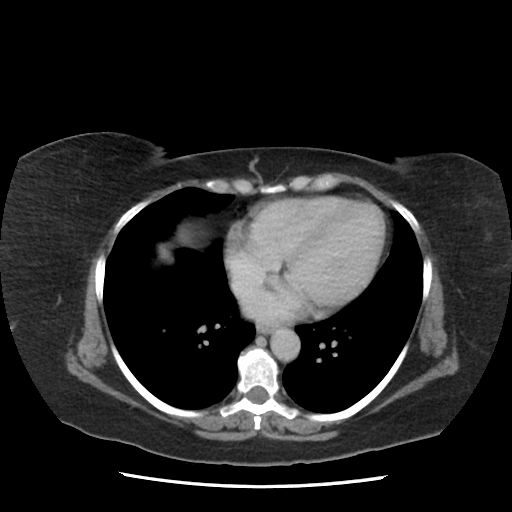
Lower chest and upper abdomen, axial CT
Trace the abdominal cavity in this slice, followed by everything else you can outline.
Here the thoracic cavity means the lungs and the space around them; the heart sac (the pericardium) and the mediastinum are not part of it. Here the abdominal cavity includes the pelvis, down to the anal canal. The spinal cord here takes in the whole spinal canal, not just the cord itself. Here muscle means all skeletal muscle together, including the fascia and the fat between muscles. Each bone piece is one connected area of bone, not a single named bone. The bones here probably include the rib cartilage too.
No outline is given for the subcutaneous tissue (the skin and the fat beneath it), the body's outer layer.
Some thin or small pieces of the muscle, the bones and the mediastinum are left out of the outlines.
Outlines (x, y in pixels):
abdominal cavity: (209, 213) (211, 214) (211, 219) (217, 232) (217, 237) (207, 248) (203, 251) (184, 247) (179, 248) (175, 251) (175, 263) (173, 265) (161, 266) (156, 268) (152, 266) (155, 245) (157, 242) (169, 238) (172, 235) (176, 225) (182, 218) (189, 214) (195, 216) (203, 216)
mediastinum 1: (240, 311) (241, 314) (246, 319) (252, 321) (267, 324) (288, 325) (295, 324) (302, 324) (298, 324) (296, 325) (294, 327) (294, 330) (300, 340) (299, 354) (296, 359) (289, 363) (284, 368) (280, 375) (278, 363) (267, 350) (257, 346) (244, 349) (254, 339) (256, 329) (252, 322) (242, 318)
mediastinum 2: (230, 193) (241, 195) (252, 195) (256, 193) (273, 194) (252, 201) (247, 205) (245, 212) (239, 217) (232, 219) (227, 224) (223, 242) (223, 261) (223, 241) (219, 236) (218, 237) (218, 232) (214, 225) (212, 214) (210, 213) (217, 212) (229, 204) (234, 198) (234, 195)
mediastinum 3: (341, 184) (350, 184) (362, 188) (393, 209) (391, 211) (391, 216) (394, 226) (393, 241) (389, 250) (389, 253) (384, 262) (392, 235) (390, 219) (382, 206) (372, 197) (355, 191) (339, 191) (338, 192) (304, 191) (303, 192) (290, 192) (289, 193) (277, 193) (283, 193) (284, 192) (286, 192) (288, 190) (325, 191) (332, 189)
muscle 1: (122, 213) (113, 227) (116, 237) (109, 254) (107, 257) (101, 252) (96, 259) (94, 292) (97, 302) (103, 303) (112, 339) (109, 348) (118, 368) (146, 401) (165, 414) (201, 417) (206, 412) (200, 409) (221, 402) (234, 389) (236, 399) (219, 406) (218, 413) (224, 418) (241, 410) (250, 412) (257, 431) (261, 416) (268, 411) (288, 420) (301, 414) (297, 407) (280, 400) (280, 391) (310, 411) (304, 416) (314, 422) (347, 419) (367, 406) (402, 364) (421, 302) (429, 295) (433, 263) (427, 254) (422, 257) (415, 234) (420, 232) (418, 221) (437, 256) (445, 329) (455, 336) (459, 368) (344, 425) (338, 435) (321, 441) (263, 436) (237, 441) (207, 439) (157, 418) (79, 380) (65, 365) (66, 344) (83, 324) (92, 256)
muscle 2: (237, 176) (244, 176) (245, 177) (257, 177) (258, 176) (260, 176) (266, 182) (268, 182) (269, 181) (273, 181) (274, 180) (282, 180) (290, 176) (296, 176) (291, 180) (290, 180) (286, 185) (280, 182) (278, 182) (274, 184) (268, 184) (267, 183) (264, 183) (260, 185) (257, 188) (257, 189) (250, 181) (246, 179) (243, 179) (242, 178) (238, 178) (237, 179) (234, 179) (231, 182) (229, 182) (225, 180) (222, 180) (221, 179) (209, 179) (208, 180) (206, 180) (203, 183) (203, 186) (206, 189) (207, 189) (201, 188) (200, 187) (197, 187) (196, 186) (186, 186) (185, 187) (182, 187) (181, 188) (176, 189) (169, 193) (167, 193) (165, 195) (160, 197) (158, 199) (152, 202) (151, 202) (151, 201) (149, 199) (144, 199) (143, 200) (140, 200) (141, 200) (144, 197) (145, 197) (149, 192) (151, 192) (154, 190) (157, 190) (158, 189) (163, 188) (166, 186) (168, 186) (171, 184) (173, 184) (175, 182) (177, 182) (180, 180) (185, 180) (186, 179) (192, 179) (193, 178) (197, 178) (198, 179) (209, 179) (210, 178) (214, 178) (215, 177) (229, 177) (231, 178) (232, 177) (236, 177)
muscle 3: (323, 172) (340, 172) (358, 176) (369, 181) (379, 188) (389, 192) (396, 199) (401, 202) (390, 198) (388, 200) (391, 206) (390, 206) (362, 187) (350, 183) (341, 183) (340, 184) (342, 180) (338, 176) (331, 173) (325, 173) (313, 178) (308, 175) (302, 174) (314, 175)
pericardium: (304, 192) (355, 192) (375, 200) (387, 214) (390, 225) (391, 235) (383, 262) (367, 287) (357, 297) (328, 317) (317, 321) (294, 324) (267, 323) (246, 318) (242, 314) (236, 298) (230, 288) (224, 265) (224, 242) (228, 224) (245, 213) (248, 205) (256, 200) (274, 194)
torso: (93, 131) (139, 135) (164, 145) (169, 156) (270, 145) (323, 147) (381, 160) (450, 150) (494, 169) (511, 238) (508, 296) (489, 360) (457, 413) (430, 438) (338, 460) (270, 467) (180, 461) (92, 437) (63, 423) (32, 380) (12, 334) (0, 238) (20, 156) (56, 139)
thoracic cavity 1: (186, 187) (233, 198) (217, 211) (182, 217) (171, 235) (154, 245) (151, 266) (171, 267) (177, 250) (203, 252) (219, 237) (227, 285) (241, 318) (255, 329) (236, 359) (234, 388) (199, 409) (171, 405) (139, 381) (112, 338) (104, 309) (106, 262) (120, 231) (149, 204)
thoracic cavity 2: (393, 210) (402, 216) (413, 231) (422, 258) (421, 301) (410, 333) (387, 372) (365, 395) (338, 411) (314, 412) (308, 410) (292, 401) (281, 390) (278, 380) (278, 376) (300, 354) (301, 340) (295, 327) (312, 324) (328, 318) (357, 298) (368, 287) (386, 261) (394, 241)
spinal cord: (256, 386) (260, 386) (262, 387) (266, 391) (267, 393) (267, 395) (268, 396) (267, 398) (263, 402) (261, 403) (256, 403) (255, 402) (253, 402) (251, 401) (249, 399) (247, 395) (248, 392) (253, 387) (255, 387)
bones 1: (253, 347) (267, 351) (277, 363) (279, 400) (300, 411) (300, 414) (288, 419) (275, 411) (268, 410) (260, 416) (260, 427) (257, 430) (254, 428) (254, 415) (250, 411) (241, 409) (224, 417) (218, 411) (219, 407) (237, 399) (235, 388) (239, 379) (237, 359) (242, 350); inner edge: (256, 386) (260, 386) (262, 387) (266, 391) (267, 393) (267, 395) (268, 396) (267, 398) (263, 402) (261, 403) (256, 403) (255, 402) (253, 402) (251, 401) (249, 399) (247, 395) (248, 392) (253, 387) (255, 387)
bones 2: (325, 174) (331, 174) (341, 180) (338, 185) (325, 190) (288, 189) (276, 193) (241, 194) (233, 189) (226, 193) (214, 192) (204, 186) (204, 183) (209, 180) (231, 183) (242, 179) (250, 182) (257, 190) (264, 184) (280, 183) (286, 186) (297, 176) (304, 175) (313, 179)
bones 3: (407, 341) (409, 342) (407, 352) (395, 374) (385, 387) (367, 405) (355, 414) (347, 418) (333, 421) (314, 421) (308, 419) (305, 416) (306, 413) (310, 412) (311, 413) (312, 412) (313, 413) (334, 413) (338, 412) (346, 409) (357, 402) (372, 390) (384, 377) (394, 363)
bones 4: (111, 340) (113, 341) (120, 356) (133, 375) (138, 381) (153, 395) (163, 402) (177, 408) (185, 409) (186, 410) (198, 410) (205, 412) (201, 416) (198, 417) (177, 416) (176, 415) (171, 415) (165, 413) (152, 405) (132, 386) (122, 373) (111, 351) (110, 348) (110, 341)
bones 5: (101, 253) (103, 253) (105, 255) (106, 257) (106, 261) (105, 262) (105, 271) (104, 272) (104, 278) (103, 279) (103, 302) (102, 303) (99, 303) (98, 302) (98, 300) (96, 296) (96, 293) (95, 292) (95, 267) (96, 266) (96, 262) (97, 261) (97, 259)
bones 6: (144, 200) (149, 200) (150, 201) (150, 203) (149, 203) (146, 206) (145, 206) (133, 217) (132, 217) (125, 224) (125, 225) (116, 235) (114, 234) (113, 232) (114, 230) (114, 227) (116, 223) (120, 218) (120, 217) (129, 208) (130, 208) (138, 202) (140, 201) (143, 201)
bones 7: (390, 199) (398, 201) (400, 203) (404, 205) (414, 215) (414, 216) (416, 218) (419, 224) (419, 232) (415, 233) (410, 226) (410, 225) (408, 223) (408, 222) (403, 217) (403, 216) (399, 212) (398, 212) (392, 207) (392, 206) (389, 202) (389, 200)
bones 8: (426, 255) (427, 255) (430, 258) (430, 259) (431, 260) (431, 262) (432, 263) (432, 275) (431, 276) (431, 282) (430, 283) (430, 287) (429, 288) (429, 291) (428, 292) (428, 295) (427, 296) (426, 299) (424, 301) (422, 301) (422, 292) (423, 291) (423, 258)